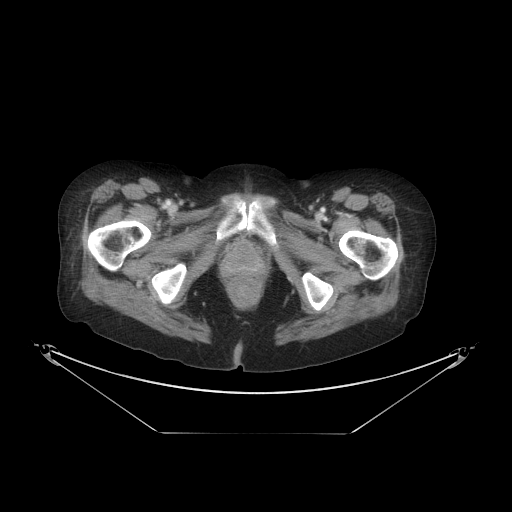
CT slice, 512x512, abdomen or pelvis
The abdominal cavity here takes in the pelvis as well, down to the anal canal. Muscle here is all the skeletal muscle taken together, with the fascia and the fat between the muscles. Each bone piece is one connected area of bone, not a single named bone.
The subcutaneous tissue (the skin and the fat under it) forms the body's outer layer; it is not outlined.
The torso is outlined by 112,158 175,164 198,177 238,161 269,163 296,178 361,166 394,171 423,193 435,219 436,249 422,308 402,334 381,346 279,373 187,367 101,337 84,323 68,320 59,308 57,210 76,175. The muscle is outlined by 124,176 154,180 189,210 209,206 225,194 250,192 273,196 282,207 304,217 340,187 379,189 394,200 402,235 404,256 398,301 379,317 324,337 282,345 274,344 275,330 300,313 301,303 274,262 264,293 253,310 240,311 232,305 215,265 191,284 185,307 210,326 209,344 169,336 107,306 97,305 83,294 79,285 83,221 92,190 108,178, around holes outlined by 235,194 247,204 257,196 264,202 274,201 265,208 265,213 274,228 277,247 264,243 267,248 266,265 260,275 256,293 247,304 236,298 224,275 220,252 226,240 216,242 216,228 228,209 222,200 229,201 and by 121,220 136,220 144,224 150,230 151,232 151,237 145,245 136,250 130,252 124,259 123,263 119,269 116,271 110,271 100,265 90,253 87,247 87,239 89,233 94,229 103,226 106,224 109,224 and by 354,229 361,230 382,237 389,237 395,242 398,251 397,259 393,267 381,278 377,280 370,280 366,278 362,274 359,266 354,261 345,256 341,252 338,245 338,242 340,237 345,232 and by 179,262 183,262 185,264 185,266 186,267 186,274 185,275 184,280 182,283 180,290 177,294 175,299 171,303 164,304 160,301 156,292 152,287 152,285 151,284 151,278 159,271 169,267 172,267 and by 306,271 309,271 311,272 314,275 319,277 324,281 331,284 333,288 333,293 331,297 326,303 326,304 320,310 318,311 313,309 310,306 306,297 306,294 304,290 304,287 301,280 301,277 302,275. The abdominal cavity is outlined by 242,231 246,231 258,236 265,242 264,243 267,248 266,265 264,270 260,275 260,278 258,281 256,289 256,293 250,302 247,304 241,303 234,295 226,280 224,275 224,270 220,261 220,252 223,244 227,239. The bones appear in 5 outlined pieces: piece 1: 121,220 136,220 144,224 150,230 151,232 151,237 145,245 136,250 130,252 124,259 123,263 119,269 116,271 110,271 100,265 90,253 87,247 87,239 89,233 94,229 103,226 106,224 109,224; piece 2: 354,229 361,230 382,237 389,237 395,242 398,251 397,259 393,267 381,278 377,280 370,280 366,278 362,274 359,266 354,261 345,256 341,252 338,245 338,242 340,237 345,232; piece 3: 235,194 247,204 257,196 259,196 264,202 270,200 274,201 273,204 265,208 265,213 274,228 277,247 270,246 258,235 246,230 239,231 218,243 216,242 216,228 228,209 228,205 222,200 225,199 229,201; piece 4: 179,262 183,262 185,264 185,266 186,267 186,274 185,275 184,280 182,283 180,290 177,294 175,299 171,303 164,304 160,301 156,292 152,287 152,285 151,284 151,278 159,271 169,267 172,267; piece 5: 306,271 309,271 311,272 314,275 319,277 324,281 331,284 333,288 333,293 331,297 326,303 326,304 320,310 318,311 313,309 310,306 306,297 306,294 304,290 304,287 301,280 301,277 302,275.